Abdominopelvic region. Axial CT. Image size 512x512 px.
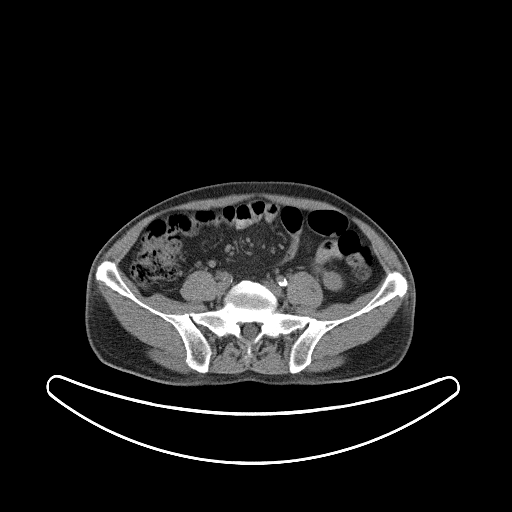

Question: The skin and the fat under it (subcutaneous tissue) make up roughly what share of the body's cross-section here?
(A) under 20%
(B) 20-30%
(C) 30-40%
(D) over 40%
Answer: (B) 20-30%
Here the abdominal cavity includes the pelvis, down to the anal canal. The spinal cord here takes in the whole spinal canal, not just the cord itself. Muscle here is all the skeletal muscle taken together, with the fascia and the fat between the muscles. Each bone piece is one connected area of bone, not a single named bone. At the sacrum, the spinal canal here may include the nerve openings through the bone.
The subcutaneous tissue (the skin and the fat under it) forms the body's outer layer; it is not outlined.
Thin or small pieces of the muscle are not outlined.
The spinal cord is outlined by (240, 322) (242, 322) (244, 324) (246, 323) (254, 323) (255, 322) (258, 322) (260, 323) (261, 324) (259, 326) (259, 332) (257, 333) (256, 335) (252, 339) (250, 339) (249, 340) (247, 339) (245, 337) (244, 337) (243, 335) (243, 332) (242, 331) (241, 326) (239, 324). The abdominal cavity is outlined by (254, 197) (341, 212) (370, 241) (383, 277) (350, 302) (318, 308) (319, 282) (306, 271) (292, 273) (285, 295) (294, 313) (279, 311) (272, 291) (250, 279) (207, 310) (204, 302) (217, 288) (206, 270) (185, 278) (179, 289) (185, 301) (143, 295) (120, 264) (154, 218). The torso is outlined by (240, 180) (296, 181) (324, 188) (364, 211) (394, 240) (412, 270) (416, 285) (413, 337) (397, 366) (376, 375) (322, 385) (276, 386) (243, 381) (193, 387) (142, 378) (108, 366) (96, 357) (85, 333) (85, 288) (92, 259) (105, 241) (132, 217) (172, 195) (213, 183). The muscle appears in 4 outlined pieces: piece 1: (246, 193) (278, 194) (323, 201) (360, 219) (382, 237) (394, 251) (405, 270) (407, 279) (397, 270) (389, 271) (378, 290) (362, 307) (339, 318) (319, 319) (309, 315) (295, 314) (296, 307) (292, 306) (286, 295) (289, 277) (292, 274) (306, 272) (318, 282) (323, 299) (317, 308) (321, 309) (331, 304) (352, 302) (360, 295) (372, 290) (382, 280) (385, 272) (371, 241) (341, 211) (331, 208) (305, 209) (254, 196) (212, 209) (170, 210) (154, 217) (141, 230) (119, 266) (143, 296) (159, 293) (185, 302) (180, 289) (190, 274) (196, 271) (206, 271) (215, 280) (216, 296) (203, 302) (206, 310) (168, 313) (152, 307) (133, 293) (123, 280) (114, 261) (104, 259) (98, 263) (102, 256) (132, 226) (160, 210) (194, 200); piece 2: (95, 278) (96, 280) (102, 282) (107, 287) (122, 296) (130, 299) (140, 307) (146, 309) (171, 324) (177, 331) (183, 343) (185, 350) (184, 359) (185, 363) (197, 373) (181, 373) (174, 371) (150, 359) (145, 352) (146, 345) (126, 331) (116, 319) (104, 298) (97, 291); piece 3: (198, 325) (207, 328) (219, 338) (231, 335) (243, 342) (246, 345) (247, 358) (251, 358) (253, 355) (252, 345) (264, 336) (277, 338) (280, 335) (286, 335) (299, 329) (302, 331) (289, 350) (289, 373) (264, 374) (252, 370) (239, 373) (215, 373) (208, 372) (212, 349); piece 4: (408, 280) (410, 287) (408, 297) (399, 307) (386, 326) (377, 335) (369, 341) (347, 350) (345, 352) (347, 355) (346, 361) (337, 367) (317, 372) (302, 371) (311, 363) (312, 354) (316, 345) (328, 331) (341, 323) (383, 305) (397, 296) (402, 298) (407, 292). The bones are outlined by (104, 260) (139, 300) (168, 314) (219, 309) (242, 280) (269, 289) (279, 312) (319, 320) (362, 308) (389, 272) (401, 273) (407, 289) (328, 330) (297, 373) (289, 356) (301, 328) (264, 335) (247, 357) (243, 341) (198, 324) (211, 349) (200, 373) (171, 323) (96, 279), around a hole outlined by (240, 322) (242, 322) (244, 324) (246, 323) (254, 323) (255, 322) (258, 322) (260, 323) (261, 324) (259, 326) (259, 332) (257, 333) (256, 335) (252, 339) (250, 339) (249, 340) (247, 339) (245, 337) (244, 337) (243, 335) (243, 332) (242, 331) (241, 326) (239, 324).